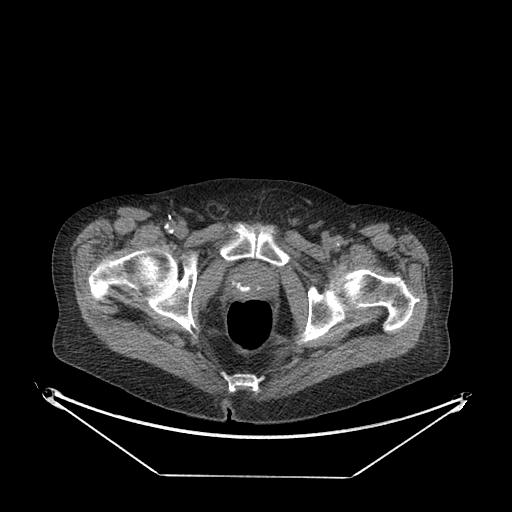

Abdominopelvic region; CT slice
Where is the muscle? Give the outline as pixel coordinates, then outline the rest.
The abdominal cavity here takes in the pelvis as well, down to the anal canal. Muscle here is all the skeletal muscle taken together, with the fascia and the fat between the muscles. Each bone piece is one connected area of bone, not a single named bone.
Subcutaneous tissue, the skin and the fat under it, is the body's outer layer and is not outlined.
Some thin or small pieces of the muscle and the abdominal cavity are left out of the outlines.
The muscle is outlined by 120,206 154,209 179,217 194,226 208,226 217,222 261,221 275,224 286,230 295,230 302,236 321,234 328,230 355,232 364,226 378,222 403,226 416,236 429,256 429,267 426,274 428,308 420,339 415,347 397,358 357,367 295,393 268,401 252,399 244,390 234,394 214,395 150,363 112,351 100,343 81,316 72,281 70,248 76,236 87,224 with holes at 236,223 252,227 257,234 261,226 272,227 275,242 290,257 284,265 275,267 291,317 289,335 280,331 278,297 272,332 255,352 239,349 231,341 222,296 223,275 232,262 222,257 219,249 234,235 231,227 and at 154,246 167,251 176,260 181,274 181,255 189,250 198,252 197,278 191,303 192,317 198,330 196,337 173,319 154,311 132,288 124,284 112,284 105,296 106,302 95,299 90,292 88,276 104,258 113,260 and at 362,268 383,276 399,276 404,281 409,291 419,298 408,320 400,328 384,331 382,325 388,314 384,306 353,308 346,311 345,318 323,335 298,344 297,340 307,322 307,292 310,286 315,286 322,293 336,275 and at 219,350 222,350 225,352 234,352 243,359 245,359 246,360 253,360 254,359 265,357 265,362 264,363 263,367 261,369 259,369 256,371 242,371 241,370 235,371 233,369 229,368 226,365 222,359 222,357 and at 221,371 225,371 228,374 233,374 234,373 251,373 255,374 257,376 263,375 264,379 258,384 259,391 256,393 252,390 250,386 237,386 236,390 234,392 230,392 228,390 228,383 227,381 220,374 and at 215,301 215,303 216,304 216,310 217,311 217,314 218,315 218,319 219,320 219,325 209,325 209,319 210,318 210,316 212,313 212,309 213,308 213,305 212,304 212,303 213,304 214,304 215,303. The bones appear in 4 outlined pieces: piece 1: 154,246 167,251 176,260 181,274 181,255 189,250 198,252 197,278 191,303 192,317 198,330 196,337 173,319 154,311 132,288 124,284 112,284 105,296 106,302 95,299 90,292 88,276 104,258 113,260; piece 2: 362,268 383,276 399,276 404,281 409,291 419,298 408,320 400,328 384,331 382,325 388,314 384,306 353,308 346,311 345,318 323,335 298,344 297,340 307,322 307,292 310,286 315,286 322,293 336,275; piece 3: 236,223 241,223 248,228 252,227 254,232 257,234 261,226 267,228 272,227 274,229 273,236 275,242 289,255 289,260 282,266 276,266 255,257 244,257 232,261 226,260 220,255 219,249 234,235 231,227; piece 4: 221,371 225,371 228,374 233,374 234,373 251,373 255,374 257,376 263,375 264,379 258,384 259,391 256,393 252,390 250,386 237,386 236,390 234,392 230,392 228,390 228,383 227,381 220,374. The abdominal cavity is outlined by 244,258 255,258 265,261 275,266 275,269 279,275 278,276 280,291 279,297 277,298 278,312 273,325 272,332 266,343 255,352 239,349 231,341 228,332 224,301 222,296 223,275 227,267 233,261. The torso is outlined by 225,177 299,181 348,203 404,209 436,225 448,242 453,264 447,322 450,356 444,368 345,410 294,422 251,424 231,419 229,410 225,422 166,410 60,361 51,346 58,316 51,253 63,222 79,208 102,198.